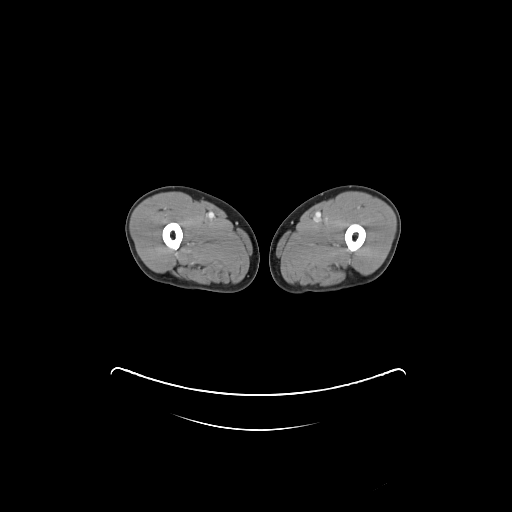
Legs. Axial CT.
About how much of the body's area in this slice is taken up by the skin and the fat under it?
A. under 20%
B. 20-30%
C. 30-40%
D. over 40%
B. 20-30%
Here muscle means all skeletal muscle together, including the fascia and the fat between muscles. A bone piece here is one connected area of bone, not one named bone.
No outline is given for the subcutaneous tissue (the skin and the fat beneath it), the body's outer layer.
{"bones":[[[352,223],[358,223],[360,224],[365,229],[365,231],[366,232],[366,236],[365,237],[365,240],[364,242],[362,244],[362,245],[355,251],[350,251],[348,249],[346,245],[345,240],[344,239],[344,234],[345,233],[345,231],[347,227],[350,224]],[[169,222],[177,222],[180,225],[182,229],[182,231],[183,232],[183,237],[182,238],[182,240],[180,243],[180,245],[179,247],[176,250],[174,250],[168,247],[165,244],[162,238],[162,229],[163,227]]],"left_leg":[[[347,184],[364,185],[376,189],[386,195],[398,209],[401,218],[401,233],[395,253],[389,265],[385,271],[372,282],[348,289],[333,292],[309,292],[303,294],[291,294],[284,291],[274,282],[268,264],[269,247],[276,229],[292,210],[308,198],[326,189]]],"muscle":[{"outer":[[350,190],[362,191],[375,196],[384,201],[394,212],[396,218],[396,231],[391,244],[391,247],[386,258],[382,264],[372,273],[354,278],[346,282],[326,286],[301,286],[289,284],[283,278],[277,263],[276,247],[278,240],[293,219],[313,204],[339,192]],"hole":[[352,223],[358,223],[360,224],[365,229],[365,231],[366,232],[366,236],[365,237],[365,240],[364,242],[362,244],[362,245],[355,251],[350,251],[348,249],[346,245],[345,240],[344,239],[344,234],[345,233],[345,231],[347,227],[350,224]]},{"outer":[[168,191],[180,191],[206,199],[222,209],[235,220],[247,233],[252,245],[252,256],[249,271],[239,282],[234,284],[198,283],[195,281],[176,278],[154,272],[142,261],[136,251],[134,242],[130,234],[129,222],[132,212],[146,198],[157,193]],"hole":[[169,222],[177,222],[180,225],[182,229],[182,231],[183,232],[183,237],[182,238],[182,240],[180,243],[180,245],[179,247],[176,250],[174,250],[168,247],[165,244],[162,238],[162,229],[163,227]]}],"right_leg":[[[166,185],[184,185],[209,193],[229,203],[246,219],[256,236],[259,247],[259,267],[253,281],[246,288],[235,293],[218,293],[210,291],[183,289],[156,282],[147,277],[138,267],[130,252],[125,236],[124,225],[127,212],[130,206],[138,197],[152,189]]]}